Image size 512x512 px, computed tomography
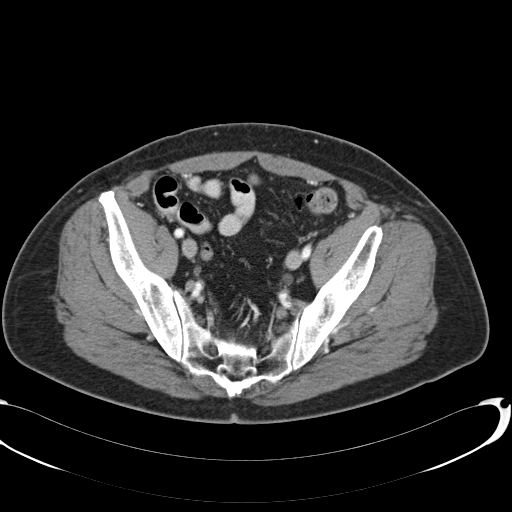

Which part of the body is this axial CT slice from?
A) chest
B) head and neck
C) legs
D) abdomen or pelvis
D) abdomen or pelvis
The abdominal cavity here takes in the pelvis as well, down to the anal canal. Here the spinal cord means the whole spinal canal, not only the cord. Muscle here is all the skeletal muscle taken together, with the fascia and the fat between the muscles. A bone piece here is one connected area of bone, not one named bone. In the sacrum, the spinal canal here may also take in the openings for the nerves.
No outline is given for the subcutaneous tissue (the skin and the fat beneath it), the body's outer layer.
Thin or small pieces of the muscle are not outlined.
{"spinal_cord":[[[227,373],[231,373],[232,374],[247,374],[247,375],[245,377],[244,377],[243,378],[242,378],[241,379],[238,379],[237,380],[232,380],[227,375]],[[212,344],[214,344],[215,345],[216,345],[217,346],[217,347],[218,348],[218,350],[217,351],[217,352],[216,353],[215,353],[214,354],[212,354],[211,353],[210,353],[209,352],[209,351],[208,350],[208,348],[209,347],[209,346],[210,345],[211,345]],[[263,345],[265,345],[266,346],[267,346],[268,347],[268,348],[269,349],[269,351],[268,352],[268,353],[267,354],[266,354],[265,355],[263,355],[262,354],[261,354],[260,353],[260,352],[259,351],[259,349],[260,348],[260,347],[261,346],[262,346]]],"muscle":[[[237,150],[309,163],[361,186],[373,200],[407,210],[428,226],[437,247],[433,294],[438,318],[421,356],[290,404],[265,406],[234,397],[261,380],[275,384],[312,359],[367,286],[383,238],[381,225],[368,226],[318,288],[310,272],[314,248],[360,212],[348,205],[339,182],[280,175],[263,168],[255,157],[229,169],[162,170],[133,201],[164,225],[177,245],[177,264],[166,280],[142,260],[114,190],[103,190],[134,172]],[[98,192],[97,200],[106,222],[110,260],[115,272],[133,296],[153,337],[171,359],[192,375],[211,377],[225,390],[227,397],[174,397],[98,367],[78,356],[65,343],[62,336],[63,326],[56,318],[51,299],[57,275],[58,242],[67,219],[81,204]]],"bones":[{"outer":[[107,190],[114,192],[143,263],[179,292],[196,321],[220,338],[257,346],[263,356],[270,351],[268,342],[288,330],[368,227],[381,226],[382,238],[366,286],[311,359],[275,383],[261,379],[229,398],[211,376],[192,374],[154,337],[111,260],[98,200]],"holes":[[[227,373],[231,373],[232,374],[247,374],[247,375],[245,377],[244,377],[243,378],[242,378],[241,379],[238,379],[237,380],[232,380],[227,375]],[[212,344],[214,344],[215,345],[216,345],[217,346],[217,347],[218,348],[218,350],[217,351],[217,352],[216,353],[215,353],[214,354],[212,354],[211,353],[210,353],[209,352],[209,351],[208,350],[208,348],[209,347],[209,346],[210,345],[211,345]]]}],"torso":[[[237,121],[294,125],[349,140],[379,155],[413,182],[449,219],[470,255],[489,317],[489,339],[482,355],[435,381],[375,403],[264,424],[206,423],[131,409],[67,387],[17,361],[3,336],[3,293],[21,245],[43,214],[83,176],[151,140],[192,127]]],"abdominal_cavity":[[[252,158],[280,176],[308,182],[336,181],[345,191],[347,205],[359,211],[317,242],[309,272],[318,290],[295,314],[286,331],[259,348],[220,337],[197,321],[189,302],[167,281],[178,264],[176,241],[164,224],[158,224],[134,201],[159,172],[229,170]]]}